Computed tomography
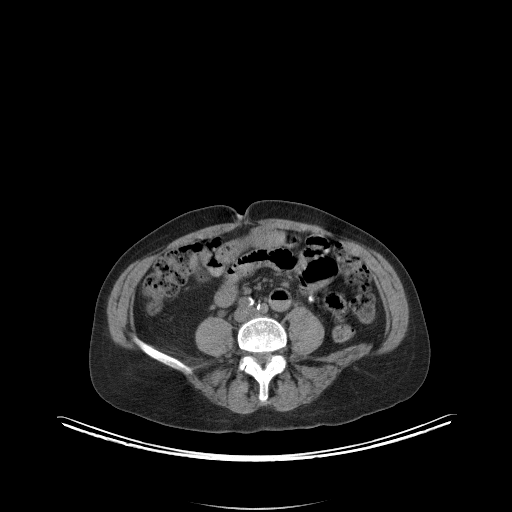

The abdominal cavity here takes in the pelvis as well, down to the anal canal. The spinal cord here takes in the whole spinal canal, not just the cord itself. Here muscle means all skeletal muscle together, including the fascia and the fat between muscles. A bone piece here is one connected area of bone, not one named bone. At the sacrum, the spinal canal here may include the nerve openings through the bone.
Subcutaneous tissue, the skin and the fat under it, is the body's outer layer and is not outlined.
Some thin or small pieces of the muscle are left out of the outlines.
Outlines:
torso: 261,199 297,201 325,210 370,233 397,256 415,285 429,334 430,364 420,388 404,401 347,423 254,433 171,427 120,410 102,399 89,376 89,341 96,298 116,260 144,235 181,213 214,204 243,212 250,203
spinal cord: 262,352 268,352 271,354 270,355 270,357 269,358 269,359 268,360 268,361 267,361 264,364 261,364 260,363 259,363 256,360 256,359 255,358 255,357 253,354 254,353 261,353
bones 1: 259,316 271,317 278,321 284,327 287,335 286,345 280,350 280,353 285,358 286,367 269,381 268,396 265,401 261,401 258,397 258,382 251,375 238,369 239,361 244,352 238,346 236,339 237,332 243,323; inner edge: 262,352 268,352 271,354 270,355 270,357 269,358 269,359 268,360 268,361 267,361 264,364 261,364 260,363 259,363 256,360 256,359 255,358 255,357 253,354 254,353 261,353
bones 2: 134,336 137,336 143,341 152,345 159,351 161,351 171,356 175,359 180,360 192,369 192,373 184,373 180,370 175,369 168,365 164,364 162,362 160,362 152,358 142,351 135,343 133,340 133,337
muscle: 256,218 313,223 375,250 399,277 409,318 406,334 393,350 352,362 310,403 287,411 261,406 240,414 211,402 181,373 166,366 184,374 192,374 193,369 153,344 211,358 197,347 195,332 209,316 222,318 233,326 237,346 243,352 237,369 257,382 257,397 265,402 270,381 287,367 281,353 288,342 288,321 284,317 294,308 305,307 324,328 323,341 311,353 313,356 361,343 371,343 375,348 382,341 386,329 384,305 367,263 353,247 314,231 250,223 160,253 138,281 132,305 136,333 132,340 157,361 116,345 106,310 116,280 134,261 204,227
abdominal cavity: 250,224 314,232 353,248 383,305 385,329 378,345 361,342 313,355 325,328 302,305 283,317 286,330 275,318 259,315 243,322 235,337 229,321 209,315 196,327 194,342 211,357 140,338 135,291 156,258